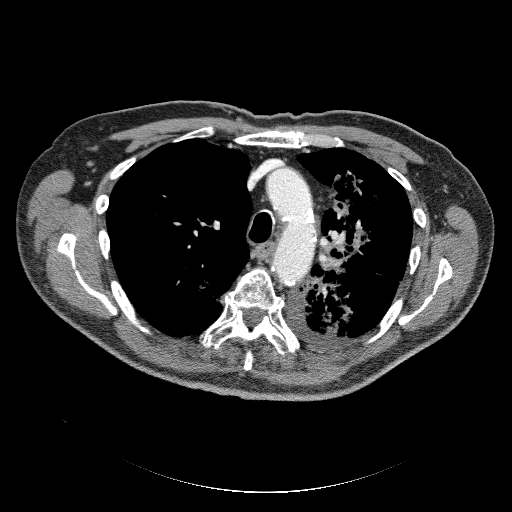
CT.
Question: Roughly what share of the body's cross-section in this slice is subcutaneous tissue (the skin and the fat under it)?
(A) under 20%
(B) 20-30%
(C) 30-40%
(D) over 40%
Answer: (B) 20-30%
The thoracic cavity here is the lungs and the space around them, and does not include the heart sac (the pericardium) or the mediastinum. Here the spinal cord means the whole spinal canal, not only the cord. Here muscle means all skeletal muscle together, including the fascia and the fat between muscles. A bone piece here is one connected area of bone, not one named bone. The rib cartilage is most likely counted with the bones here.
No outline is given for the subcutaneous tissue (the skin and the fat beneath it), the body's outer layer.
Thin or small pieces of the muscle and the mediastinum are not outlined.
Outlines:
torso: [[170,100],[222,102],[256,114],[357,110],[403,123],[443,144],[471,172],[494,219],[489,269],[468,313],[444,337],[372,383],[319,401],[245,400],[190,389],[136,370],[92,342],[46,305],[24,273],[15,238],[18,193],[32,162],[70,124],[101,112]]
bones 1: [[254,267],[264,267],[269,273],[276,293],[284,299],[283,319],[301,345],[299,350],[283,355],[261,335],[249,345],[253,360],[246,371],[243,364],[248,345],[243,339],[230,337],[215,349],[203,346],[198,335],[219,317],[224,295],[234,287],[238,276]] with a hole at [[254,307],[256,308],[258,308],[264,311],[264,313],[261,318],[261,320],[257,324],[256,324],[254,326],[250,328],[248,327],[245,324],[244,322],[244,320],[243,319],[243,314],[244,313],[244,309],[247,309],[248,308],[253,308]]
bones 2: [[267,128],[278,129],[281,131],[301,130],[305,133],[317,132],[323,133],[332,137],[336,136],[340,138],[347,147],[319,147],[314,145],[309,145],[297,148],[286,148],[285,147],[267,147],[262,145],[237,144],[230,141],[233,138],[249,133],[260,132]]
bones 3: [[442,257],[446,258],[449,262],[452,275],[437,287],[435,294],[428,304],[404,325],[400,325],[396,320],[381,336],[368,344],[364,344],[378,330],[379,322],[394,299],[399,297],[404,298],[399,317],[410,314],[422,304],[433,289],[437,278],[439,260]]
bones 4: [[65,232],[70,232],[75,235],[76,240],[73,253],[76,267],[83,280],[93,289],[102,293],[107,297],[110,302],[117,308],[118,311],[116,315],[112,315],[95,296],[88,293],[85,290],[76,277],[70,259],[65,254],[57,250],[59,239],[61,235]]
bones 5: [[111,279],[115,279],[119,282],[125,294],[127,296],[128,299],[134,307],[137,313],[137,315],[143,321],[143,323],[150,328],[152,332],[152,334],[151,335],[149,335],[141,331],[127,318],[127,317],[120,309],[112,293],[112,291],[110,287],[110,280]]
bones 6: [[207,125],[212,125],[215,129],[215,133],[212,136],[208,138],[202,138],[201,137],[200,138],[199,137],[198,138],[189,138],[188,139],[184,139],[176,142],[171,142],[171,140],[175,138],[177,138],[187,132],[198,129],[203,126],[206,126]]
bones 7: [[134,154],[136,154],[137,155],[137,159],[136,160],[136,161],[132,165],[131,165],[116,180],[111,180],[109,178],[109,175],[110,174],[110,172],[112,170],[112,169],[119,162],[120,162],[122,160],[123,160],[124,159],[125,159],[126,158],[127,158]]
bones 8: [[101,228],[104,228],[106,229],[106,231],[108,234],[108,237],[109,238],[109,246],[110,247],[109,254],[110,256],[107,260],[106,260],[104,258],[102,254],[102,252],[100,248],[100,245],[99,244],[99,241],[98,240],[98,232]]
bones 9: [[417,244],[418,245],[419,245],[419,246],[420,247],[420,252],[421,253],[420,254],[420,258],[419,259],[418,264],[417,265],[414,272],[412,274],[409,274],[407,271],[407,269],[408,268],[408,260],[409,259],[410,250],[413,246],[414,246]]
bones 10: [[387,166],[390,166],[391,167],[396,169],[398,171],[399,171],[403,175],[404,175],[405,176],[405,177],[408,180],[408,181],[409,182],[412,189],[410,191],[406,191],[406,190],[391,175],[390,175],[390,174],[386,170],[386,169],[385,168]]
bones 11: [[102,193],[105,193],[109,196],[109,200],[108,201],[108,206],[107,207],[107,209],[106,210],[106,211],[104,213],[103,213],[102,214],[98,214],[97,213],[97,212],[96,211],[96,209],[95,208],[95,200],[96,199],[96,198],[100,194],[101,194]]
bones 12: [[416,206],[419,206],[423,210],[423,211],[424,212],[424,213],[425,214],[425,226],[423,228],[422,228],[421,227],[420,227],[418,225],[417,225],[414,222],[414,219],[413,218],[413,209]]
muscle: [[202,116],[260,126],[355,126],[419,154],[425,163],[409,163],[407,175],[424,199],[431,228],[443,227],[445,210],[454,203],[467,209],[477,227],[474,274],[456,307],[417,337],[321,386],[178,372],[128,349],[104,321],[56,294],[40,268],[26,222],[28,201],[43,177],[62,168],[75,177],[68,196],[86,205],[112,168],[108,178],[116,181],[109,195],[95,198],[94,208],[105,213],[106,228],[98,230],[97,240],[103,258],[111,258],[117,279],[111,278],[109,287],[126,318],[149,336],[153,332],[142,318],[169,336],[197,335],[203,347],[215,350],[239,338],[247,345],[246,372],[254,360],[250,345],[261,336],[284,356],[303,343],[345,349],[377,327],[362,343],[368,345],[396,321],[408,323],[453,275],[442,256],[431,291],[399,316],[405,298],[395,296],[406,271],[412,275],[419,264],[413,229],[426,226],[426,214],[419,205],[412,208],[407,192],[413,188],[404,174],[336,135],[267,127],[225,141],[209,138],[216,129],[207,124],[139,159],[136,153],[128,156],[128,142],[109,135],[153,121]], around a hole outlined by [[65,232],[70,232],[75,235],[76,240],[73,253],[76,267],[83,280],[93,289],[102,293],[107,297],[110,302],[117,308],[118,311],[116,315],[112,315],[95,296],[88,293],[85,290],[76,277],[70,259],[65,254],[57,250],[59,239],[61,235]]
thoracic cavity 1: [[199,138],[237,149],[247,156],[250,168],[246,188],[251,200],[251,212],[245,240],[249,256],[233,287],[223,295],[223,307],[218,317],[198,334],[174,336],[163,333],[141,317],[122,287],[110,254],[106,212],[114,185],[137,160],[166,143]]
thoracic cavity 2: [[321,148],[349,148],[384,168],[405,190],[414,223],[407,267],[392,302],[374,328],[340,349],[320,349],[305,342],[301,343],[283,316],[285,298],[304,285],[322,251],[322,218],[330,207],[330,188],[318,181],[298,159],[302,153],[308,154]]
mediastinum: [[211,140],[267,148],[320,148],[302,152],[297,159],[318,182],[329,188],[329,207],[321,218],[321,251],[303,285],[290,291],[284,298],[277,293],[264,266],[254,266],[242,273],[250,256],[246,231],[252,212],[252,200],[247,188],[251,167],[244,152]]
spinal cord: [[254,307],[256,308],[258,308],[264,311],[264,313],[261,318],[261,320],[257,324],[256,324],[254,326],[250,328],[248,327],[245,324],[244,322],[244,320],[243,319],[243,314],[244,313],[244,309],[247,309],[248,308],[253,308]]